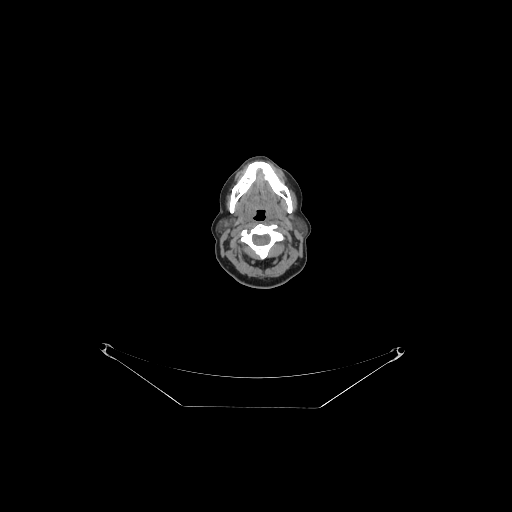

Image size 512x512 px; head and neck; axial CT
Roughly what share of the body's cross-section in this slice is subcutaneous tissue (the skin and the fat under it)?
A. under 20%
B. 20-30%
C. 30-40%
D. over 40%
Answer: B. 20-30%
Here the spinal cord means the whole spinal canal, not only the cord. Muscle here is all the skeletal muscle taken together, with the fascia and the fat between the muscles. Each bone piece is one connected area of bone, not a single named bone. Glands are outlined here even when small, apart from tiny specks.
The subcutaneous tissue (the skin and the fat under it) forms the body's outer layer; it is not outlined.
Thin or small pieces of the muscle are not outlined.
The muscle is outlined by 270,163 283,172 295,191 297,215 290,224 292,228 303,234 302,258 300,264 291,271 277,278 263,281 240,273 231,263 227,262 220,254 219,239 220,235 234,223 232,216 225,216 225,198 235,175 246,164 242,174 231,188 228,202 229,213 235,212 238,200 254,182 258,171 262,173 272,190 284,200 286,212 288,214 293,212 294,206 290,190 with holes at 259,222 261,222 264,224 270,224 271,223 276,224 278,226 278,230 284,237 281,241 277,241 270,248 267,254 267,256 263,259 261,259 246,243 242,242 240,240 241,238 240,233 243,229 245,228 249,229 and at 257,210 264,210 264,215 265,216 265,217 264,218 264,219 254,219 254,217 256,215 256,214 257,213. The bones appear in 2 outlined pieces: piece 1: 255,160 263,160 268,162 272,166 279,179 286,185 289,190 293,206 291,213 287,212 287,205 285,200 273,190 260,170 256,172 255,179 248,189 237,200 234,212 230,213 229,202 232,188 243,174 247,165; piece 2: 259,222 261,222 264,224 270,224 271,223 276,224 278,226 278,230 284,237 281,241 277,241 270,248 267,254 267,256 263,259 261,259 246,243 242,242 240,240 241,238 240,233 243,229 245,228 249,229, around a hole outlined by 254,235 259,235 260,236 261,235 268,235 269,236 269,241 267,243 266,243 265,244 256,244 255,243 254,243 254,242 253,241 253,236. The head and neck is outlined by 259,154 268,156 295,178 303,195 302,211 309,220 312,228 307,238 307,261 304,268 289,281 269,289 258,289 242,285 224,271 216,261 214,254 215,242 210,230 211,223 219,211 219,193 224,182 245,159, around a hole outlined by 257,210 264,210 264,215 265,216 265,217 264,218 264,219 254,219 254,217 256,215 256,214 257,213. The parotid glands appear in 2 outlined pieces: piece 1: 227,216 229,216 230,217 232,217 233,218 233,223 232,223 230,226 228,226 222,233 221,233 219,235 217,235 216,234 216,231 215,230 215,228 216,227 218,222 222,218 223,218 224,217 226,217; piece 2: 295,216 297,216 298,217 301,218 301,219 302,220 303,220 303,221 305,223 305,224 306,225 306,227 307,228 305,233 302,233 297,228 296,228 295,227 292,227 292,225 291,224 291,222 292,222 293,221. The spinal cord is outlined by 254,235 259,235 260,236 261,235 268,235 269,236 269,241 267,243 266,243 265,244 256,244 255,243 254,243 254,242 253,241 253,236.